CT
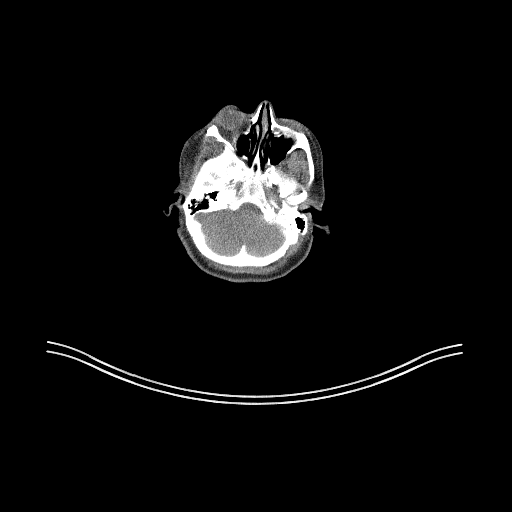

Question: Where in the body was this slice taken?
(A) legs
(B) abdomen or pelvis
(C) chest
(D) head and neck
Answer: (D) head and neck
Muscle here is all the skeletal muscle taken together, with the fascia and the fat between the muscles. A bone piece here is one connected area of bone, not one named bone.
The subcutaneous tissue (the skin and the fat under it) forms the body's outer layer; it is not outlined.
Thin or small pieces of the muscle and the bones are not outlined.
{"bones":[{"outer":[[259,104],[270,105],[279,124],[302,131],[309,142],[314,179],[306,188],[306,199],[298,205],[309,218],[307,232],[267,265],[225,265],[197,249],[186,228],[181,205],[202,163],[223,149],[223,144],[213,136],[204,136],[208,126],[215,124],[230,140]],"holes":[[[244,204],[255,206],[261,213],[261,218],[268,225],[275,225],[277,227],[282,237],[280,243],[274,249],[263,254],[251,253],[248,251],[245,243],[242,243],[234,253],[222,253],[217,251],[208,242],[207,235],[199,217],[204,214],[221,210],[234,212]],[[297,149],[301,149],[305,153],[305,155],[306,156],[306,161],[307,162],[307,167],[308,168],[308,180],[305,185],[302,184],[294,176],[292,176],[291,175],[288,175],[284,171],[283,171],[281,168],[281,166],[284,160],[289,155],[290,155],[295,150]],[[271,138],[283,138],[285,140],[287,140],[289,142],[289,146],[285,151],[285,153],[284,154],[284,156],[283,158],[282,158],[277,163],[272,163],[270,157],[267,154],[266,155],[266,151],[268,149],[268,148],[269,148],[271,146],[272,144],[271,142]],[[252,132],[253,133],[253,136],[255,140],[254,144],[252,143],[252,138],[251,137],[249,137],[248,138],[248,152],[247,153],[243,153],[242,154],[239,154],[238,153],[238,147],[237,146],[239,138],[241,136],[247,136]],[[273,186],[275,186],[276,187],[276,192],[277,193],[277,196],[279,199],[279,203],[279,202],[277,200],[277,199],[274,195],[271,195],[268,197],[267,196],[267,194],[266,193],[266,191],[265,190],[265,189],[266,188],[267,189],[270,189]]]}],"brain":[[[244,204],[255,206],[261,213],[261,218],[268,225],[275,225],[277,227],[282,237],[280,243],[274,249],[263,254],[251,253],[248,251],[245,243],[242,243],[234,253],[222,253],[217,251],[208,242],[207,235],[199,217],[204,214],[221,210],[234,212]]],"muscle":[[[309,221],[308,236],[299,252],[290,259],[284,266],[274,272],[267,274],[232,273],[216,269],[210,266],[198,255],[186,231],[186,229],[196,249],[204,257],[213,262],[232,267],[264,267],[280,259],[292,245],[298,242],[300,236],[304,236],[308,232]],[[205,130],[203,136],[205,138],[213,137],[218,143],[222,144],[222,149],[220,152],[206,158],[201,163],[193,178],[188,192],[185,194],[183,192],[183,185],[186,180],[185,167],[190,160],[190,157],[198,143],[200,137],[199,135],[201,132]],[[297,149],[301,149],[305,153],[305,155],[306,156],[306,161],[307,162],[307,167],[308,168],[308,180],[305,185],[302,184],[294,176],[292,176],[291,175],[288,175],[284,171],[283,171],[281,168],[281,166],[284,160],[289,155],[290,155],[295,150]],[[289,126],[297,126],[307,132],[311,138],[311,141],[314,144],[315,153],[316,154],[315,155],[315,158],[317,160],[317,163],[315,166],[315,180],[314,181],[314,187],[315,188],[314,189],[314,193],[315,194],[315,197],[313,199],[313,201],[305,205],[302,210],[300,210],[299,205],[303,203],[307,199],[309,195],[307,188],[309,188],[312,185],[315,179],[315,165],[314,164],[311,146],[308,137],[302,130],[297,130]],[[273,186],[275,186],[276,187],[276,192],[277,193],[277,196],[279,199],[279,203],[279,202],[277,200],[277,199],[274,195],[271,195],[268,197],[267,196],[267,194],[266,193],[266,191],[265,190],[265,189],[266,188],[267,189],[270,189]]],"head":[{"outer":[[263,99],[271,101],[277,116],[298,120],[316,136],[325,199],[321,210],[305,211],[330,231],[314,227],[308,255],[285,276],[233,283],[192,262],[176,233],[177,209],[168,216],[163,210],[178,198],[172,191],[189,136],[221,107],[234,104],[252,112]],"holes":[[[271,138],[283,138],[285,140],[287,140],[289,142],[289,146],[285,151],[285,153],[284,154],[284,156],[283,158],[282,158],[277,163],[272,163],[270,157],[267,154],[266,155],[266,151],[268,149],[268,148],[269,148],[271,146],[272,144],[271,142]],[[252,132],[253,133],[253,136],[255,140],[254,144],[252,143],[252,138],[251,137],[249,137],[248,138],[248,152],[247,153],[243,153],[242,154],[239,154],[238,153],[238,147],[237,146],[239,138],[241,136],[247,136]]]}]}